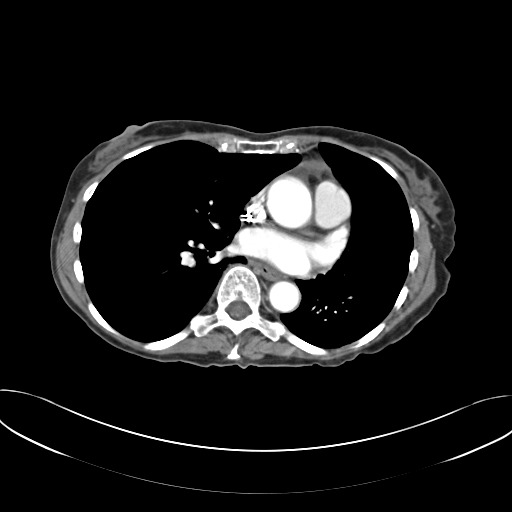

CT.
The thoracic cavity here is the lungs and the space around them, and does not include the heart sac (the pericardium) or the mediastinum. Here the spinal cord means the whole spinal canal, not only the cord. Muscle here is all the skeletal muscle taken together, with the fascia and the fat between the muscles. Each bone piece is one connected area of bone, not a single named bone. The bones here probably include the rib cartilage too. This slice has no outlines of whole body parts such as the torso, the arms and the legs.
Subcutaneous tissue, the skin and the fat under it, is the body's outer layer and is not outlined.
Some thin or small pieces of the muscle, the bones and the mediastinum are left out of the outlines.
The spinal cord is outlined by 237 300; 240 300; 241 301; 244 302; 248 306; 248 307; 250 310; 250 312; 248 314; 247 314; 244 317; 243 317; 240 319; 235 319; 234 318; 231 317; 227 311; 227 307; 229 305; 229 304; 230 303; 231 303; 234 301; 236 301. The mediastinum appears in 2 outlined pieces: piece 1: 233 240; 242 254; 263 262; 281 274; 298 278; 316 275; 314 278; 295 280; 301 294; 301 301; 296 309; 282 313; 279 319; 264 303; 260 282; 249 267; 234 264; 226 269; 233 261; 243 264; 247 261; 243 255; 237 254; 232 244; piece 2: 313 144; 317 144; 316 147; 319 153; 324 161; 330 167; 333 175; 329 168; 324 163; 316 159; 306 160; 299 165; 297 165; 301 160; 301 155; 298 152; 294 152; 295 150; 299 148; 300 150; 303 150; 304 148; 306 148; 308 146. The bones appear in 11 outlined pieces: piece 1: 234 265; 243 265; 253 272; 260 285; 263 303; 289 331; 328 353; 308 353; 283 336; 273 341; 253 327; 236 336; 223 325; 199 337; 191 332; 164 349; 145 350; 144 343; 167 338; 186 327; 195 315; 202 314; 222 275, around a hole outlined by 237 300; 240 300; 241 301; 244 302; 248 306; 248 307; 250 310; 250 312; 248 314; 247 314; 244 317; 243 317; 240 319; 235 319; 234 318; 231 317; 227 311; 227 307; 229 305; 229 304; 230 303; 231 303; 234 301; 236 301; piece 2: 223 137; 237 137; 241 139; 249 139; 254 141; 264 141; 270 139; 275 140; 280 138; 287 138; 288 139; 296 138; 298 140; 298 148; 295 149; 293 152; 287 153; 226 152; 223 151; 219 147; 217 148; 219 145; 220 138; piece 3: 383 320; 385 321; 385 326; 382 329; 382 330; 374 338; 373 338; 365 344; 363 344; 361 346; 357 348; 352 348; 350 346; 351 344; 354 341; 357 340; 359 338; 360 338; 362 336; 363 336; 365 334; 369 332; piece 4: 89 300; 90 300; 92 302; 93 305; 96 308; 96 309; 102 316; 102 317; 115 330; 120 333; 121 335; 117 335; 112 332; 110 332; 108 330; 104 328; 94 318; 94 317; 91 314; 88 309; 88 306; 87 304; piece 5: 368 155; 373 155; 374 156; 376 156; 377 157; 380 158; 382 160; 385 161; 388 164; 389 164; 392 167; 393 167; 393 168; 399 175; 399 179; 398 180; 396 180; 378 163; 377 163; 375 161; 374 161; 370 158; 369 158; 367 156; piece 6: 149 143; 155 143; 157 145; 156 145; 147 150; 145 150; 140 153; 138 153; 131 157; 129 157; 128 158; 127 158; 126 159; 124 159; 123 160; 120 160; 120 158; 124 154; 125 154; 136 148; 138 148; 145 144; 148 144; piece 7: 404 284; 405 284; 407 286; 407 287; 408 288; 408 292; 407 293; 407 295; 406 296; 404 301; 400 306; 400 307; 398 309; 397 309; 396 310; 395 309; 393 309; 392 308; 395 303; 395 301; 401 290; 401 288; 403 286; 403 285; piece 8: 78 257; 79 257; 79 259; 80 260; 81 268; 82 269; 82 272; 83 273; 83 279; 84 280; 84 282; 83 283; 80 283; 77 280; 76 276; 75 275; 75 273; 74 272; 74 270; 73 269; 73 263; 74 262; 74 260; piece 9: 97 180; 98 181; 99 181; 99 183; 95 188; 95 189; 94 190; 92 195; 90 197; 90 198; 86 202; 83 201; 82 198; 83 197; 83 194; 84 193; 85 190; 87 188; 87 187; 90 184; 91 184; 94 181; 96 181; piece 10: 409 206; 411 206; 412 207; 413 207; 415 209; 415 210; 417 213; 418 218; 419 219; 419 227; 418 228; 418 230; 416 232; 414 232; 413 231; 413 224; 412 223; 412 220; 411 219; 411 215; 410 214; 410 212; 409 211; piece 11: 236 342; 238 342; 238 343; 239 344; 239 345; 238 346; 238 348; 237 349; 237 352; 239 354; 240 357; 238 359; 228 359; 227 358; 227 355; 230 352; 231 349; 233 347; 234 344. The thoracic cavity appears in 2 outlined pieces: piece 1: 182 139; 203 142; 226 153; 298 153; 300 160; 268 181; 243 206; 231 244; 236 254; 246 261; 233 260; 227 264; 202 313; 195 314; 186 326; 167 337; 143 342; 115 329; 90 299; 80 259; 81 222; 87 202; 116 165; 158 145; piece 2: 324 141; 367 157; 397 181; 408 206; 413 232; 407 274; 389 312; 357 339; 331 348; 304 340; 280 320; 282 314; 293 312; 302 301; 296 280; 314 279; 318 274; 325 274; 330 270; 342 254; 350 234; 351 200; 317 147; 319 142. The muscle appears in 2 outlined pieces: piece 1: 298 134; 337 138; 393 163; 412 189; 428 221; 430 240; 435 249; 435 289; 379 340; 330 360; 271 354; 259 359; 244 357; 239 360; 238 341; 226 355; 227 359; 213 351; 156 354; 125 345; 104 332; 66 293; 56 269; 56 246; 74 199; 83 184; 116 156; 133 146; 144 144; 124 153; 100 181; 94 180; 86 187; 81 198; 86 203; 81 221; 76 220; 72 227; 72 240; 79 244; 79 256; 73 260; 72 269; 76 280; 85 286; 89 297; 86 304; 88 311; 104 329; 117 336; 123 335; 142 342; 145 351; 164 350; 191 333; 199 338; 220 326; 229 329; 236 337; 248 328; 256 329; 273 342; 283 337; 297 348; 316 356; 325 356; 329 353; 327 349; 347 344; 352 349; 357 349; 374 339; 386 326; 386 316; 392 309; 398 310; 408 295; 409 288; 404 283; 408 272; 412 274; 415 271; 419 259; 413 240; 413 234; 420 227; 418 213; 413 206; 408 205; 398 182; 400 175; 385 160; 324 140; 300 149; 296 137; 274 138; piece 2: 188 131; 189 132; 199 132; 200 133; 204 133; 205 132; 225 132; 247 138; 241 138; 237 136; 223 136; 219 138; 218 145; 216 147; 203 141; 189 138; 177 139; 160 144; 157 144; 155 142; 146 143; 159 138; 176 137; 180 134. The pericardium is outlined by 310 160; 316 160; 324 164; 347 193; 351 204; 351 213; 349 218; 350 229; 341 254; 327 271; 317 273; 313 276; 298 277; 281 273; 263 261; 242 253; 234 243; 234 236; 240 227; 239 216; 244 211; 244 206; 250 198; 276 176.